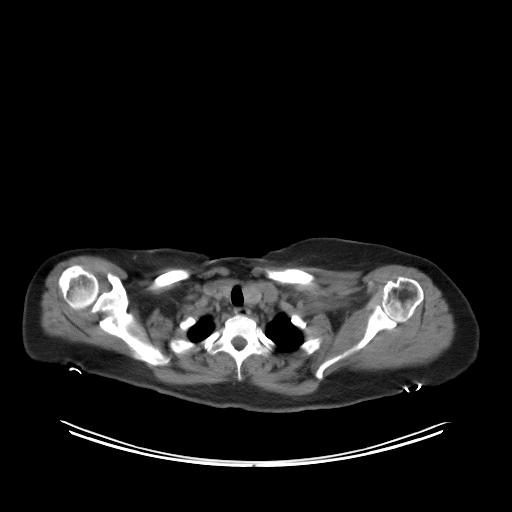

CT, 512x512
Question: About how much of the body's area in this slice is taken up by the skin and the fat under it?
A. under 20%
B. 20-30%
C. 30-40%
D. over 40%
Answer: C. 30-40%
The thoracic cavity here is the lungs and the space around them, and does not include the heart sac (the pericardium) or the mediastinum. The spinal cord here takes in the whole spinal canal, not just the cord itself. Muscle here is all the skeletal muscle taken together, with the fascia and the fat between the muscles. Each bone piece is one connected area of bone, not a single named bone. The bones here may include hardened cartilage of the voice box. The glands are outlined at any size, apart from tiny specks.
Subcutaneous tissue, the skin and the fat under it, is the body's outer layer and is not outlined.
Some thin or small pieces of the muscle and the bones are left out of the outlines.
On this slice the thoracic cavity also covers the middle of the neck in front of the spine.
Outlines:
torso: [[310,236],[340,237],[393,247],[377,299],[378,311],[420,387],[416,384],[410,385],[396,395],[344,407],[264,413],[197,404],[114,379],[90,375],[77,367],[71,367],[106,306],[110,284],[107,246],[167,246],[201,252],[212,258],[254,257]]
left arm: [[394,247],[400,250],[407,251],[410,253],[426,257],[436,263],[445,271],[461,289],[469,300],[479,323],[480,327],[480,348],[476,363],[467,372],[460,377],[439,387],[427,388],[422,386],[419,379],[411,369],[408,362],[399,350],[380,315],[378,299]]
right arm: [[104,246],[106,246],[107,249],[109,266],[109,284],[105,306],[101,317],[75,355],[72,364],[66,366],[57,365],[44,366],[33,361],[27,356],[23,349],[20,331],[24,294],[32,275],[38,266],[46,258],[55,253],[66,249],[80,247],[103,247]]
muscle: [[78,255],[100,256],[125,269],[178,260],[225,266],[239,274],[254,265],[288,261],[365,272],[387,264],[415,267],[441,291],[455,334],[450,346],[426,364],[377,371],[344,367],[310,394],[267,391],[241,382],[248,357],[298,349],[311,355],[322,338],[304,339],[307,322],[296,312],[284,312],[273,291],[228,280],[211,292],[207,313],[178,323],[187,338],[172,337],[167,345],[177,356],[202,349],[211,356],[228,354],[238,381],[171,385],[139,361],[164,366],[171,358],[128,311],[127,290],[111,271],[105,274],[109,290],[101,291],[97,277],[78,263],[61,271],[57,286],[73,310],[105,313],[98,326],[123,341],[133,358],[43,331],[45,279],[58,262]], around holes outlined by [[399,276],[416,280],[423,290],[423,300],[412,316],[404,322],[399,322],[392,329],[380,330],[362,348],[328,366],[323,371],[322,379],[317,378],[315,372],[321,363],[349,349],[363,337],[370,313],[375,305],[381,303],[384,285],[388,280],[395,281]] and by [[285,268],[298,268],[299,269],[304,270],[312,274],[314,276],[314,280],[311,284],[302,284],[301,283],[280,283],[277,281],[272,280],[266,277],[265,275],[265,270],[266,269],[272,269],[274,270],[275,269],[284,269]] and by [[179,268],[187,269],[190,271],[190,275],[188,278],[184,279],[183,280],[176,281],[171,284],[169,284],[168,285],[160,287],[157,289],[154,289],[152,290],[149,288],[154,278],[155,278],[158,275],[168,270],[170,270],[171,269],[178,269]]
thyroid glands 1: [[244,282],[249,282],[250,283],[251,283],[252,284],[253,284],[259,290],[260,290],[261,291],[261,296],[260,297],[260,301],[259,302],[257,302],[253,306],[250,306],[247,303],[246,303],[245,302],[245,297],[244,296],[244,292],[243,291],[243,283]]
thyroid glands 2: [[228,281],[231,281],[232,282],[232,284],[230,286],[230,291],[229,292],[229,294],[228,295],[228,296],[226,298],[224,298],[221,295],[221,294],[218,292],[218,289],[219,288],[219,287],[221,285],[222,285],[223,284],[224,284],[225,283],[226,283]]
thoracic cavity: [[233,282],[243,282],[244,302],[250,307],[261,301],[262,290],[276,295],[278,307],[302,332],[303,341],[297,349],[277,351],[277,345],[257,321],[243,313],[226,318],[219,327],[197,342],[188,338],[189,329],[212,309],[212,292],[217,290],[226,299]]
spinal cord: [[237,336],[239,336],[240,337],[241,337],[242,338],[243,338],[246,341],[246,343],[245,344],[245,345],[242,348],[241,348],[240,349],[238,349],[237,348],[236,348],[233,345],[233,344],[232,343],[232,340],[235,337],[236,337]]
bones 1: [[75,264],[96,277],[101,292],[112,287],[107,272],[119,277],[128,298],[127,311],[134,316],[145,337],[170,358],[167,364],[152,365],[135,359],[123,340],[99,326],[105,312],[92,313],[90,306],[76,310],[68,305],[58,279],[64,269]]
bones 2: [[235,314],[243,314],[256,321],[266,336],[276,345],[268,357],[260,354],[251,354],[242,362],[241,381],[237,379],[234,359],[224,351],[211,355],[202,348],[198,351],[189,351],[177,355],[170,349],[168,343],[172,338],[186,338],[197,343]] with a hole at [[237,336],[239,336],[240,337],[241,337],[242,338],[243,338],[246,341],[246,343],[245,344],[245,345],[242,348],[241,348],[240,349],[238,349],[237,348],[236,348],[233,345],[233,344],[232,343],[232,340],[235,337],[236,337]]
bones 3: [[399,276],[416,280],[423,290],[423,300],[412,316],[404,322],[399,322],[392,329],[380,330],[362,348],[328,366],[323,371],[322,379],[317,378],[315,372],[321,363],[349,349],[363,337],[370,313],[375,305],[381,303],[384,285],[388,280],[395,281]]
bones 4: [[285,268],[298,268],[299,269],[304,270],[312,274],[314,276],[314,280],[311,284],[302,284],[301,283],[280,283],[277,281],[272,280],[266,277],[265,275],[265,270],[266,269],[272,269],[274,270],[275,269],[284,269]]
bones 5: [[179,268],[187,269],[190,271],[190,275],[188,278],[184,279],[183,280],[176,281],[171,284],[169,284],[168,285],[160,287],[157,289],[154,289],[152,290],[149,288],[154,278],[155,278],[158,275],[168,270],[170,270],[171,269],[178,269]]
bones 6: [[310,337],[311,338],[312,337],[320,337],[321,338],[321,343],[318,349],[314,351],[311,354],[307,354],[304,351],[302,350],[300,350],[298,348],[299,346],[304,341],[304,340],[306,338],[309,338]]
bones 7: [[293,313],[296,313],[297,314],[298,314],[301,317],[301,318],[303,320],[304,320],[306,322],[306,326],[308,328],[307,329],[307,330],[306,331],[302,331],[301,330],[300,330],[296,326],[295,326],[291,322],[291,321],[290,320],[290,316]]
bones 8: [[188,316],[192,316],[193,317],[196,318],[197,319],[197,321],[192,326],[191,326],[188,329],[188,330],[186,332],[185,332],[184,331],[183,331],[181,329],[180,329],[180,328],[179,327],[179,323],[182,320],[185,319]]